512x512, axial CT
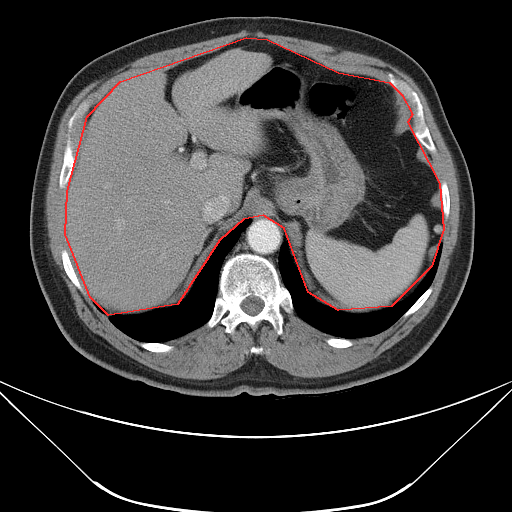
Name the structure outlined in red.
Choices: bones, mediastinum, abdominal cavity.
red: abdominal cavity.
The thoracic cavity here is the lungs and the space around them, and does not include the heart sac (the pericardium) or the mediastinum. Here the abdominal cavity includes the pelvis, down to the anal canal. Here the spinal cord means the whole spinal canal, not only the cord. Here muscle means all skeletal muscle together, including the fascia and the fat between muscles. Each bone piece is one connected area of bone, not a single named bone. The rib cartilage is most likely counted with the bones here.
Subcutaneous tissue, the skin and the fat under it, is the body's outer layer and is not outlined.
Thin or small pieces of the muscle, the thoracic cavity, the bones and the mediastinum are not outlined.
Outlines:
abdominal cavity: 246 37; 267 39; 338 72; 389 82; 401 94; 412 114; 407 122; 439 183; 443 229; 431 266; 391 306; 338 310; 308 292; 284 228; 263 215; 243 219; 219 240; 177 304; 108 315; 90 297; 65 234; 67 191; 87 116; 120 81
bones 1: 240 253; 267 258; 288 290; 294 310; 292 313; 280 310; 283 315; 281 334; 278 334; 267 320; 260 321; 254 329; 246 322; 240 322; 232 334; 227 333; 225 326; 220 322; 213 327; 205 325; 212 315; 218 295; 222 266; 229 258; inner edge: 251 296; 258 297; 261 300; 262 300; 262 301; 263 302; 263 307; 261 309; 261 310; 258 313; 257 313; 254 315; 251 315; 250 314; 248 314; 246 312; 245 312; 242 309; 242 308; 241 307; 241 303; 247 297; 250 297
bones 2: 388 72; 391 72; 397 78; 403 80; 416 92; 423 108; 424 121; 429 130; 431 138; 436 149; 436 152; 435 153; 433 154; 431 153; 416 137; 415 135; 415 130; 414 129; 414 108; 412 104; 390 83; 387 77; 387 73
bones 3: 85 99; 87 99; 89 101; 89 106; 87 110; 74 124; 73 129; 70 134; 72 141; 72 152; 75 158; 74 167; 65 187; 64 188; 60 188; 59 186; 59 176; 63 163; 63 154; 64 153; 64 147; 66 142; 68 120; 81 102
bones 4: 62 249; 65 249; 67 251; 67 253; 68 254; 69 259; 71 262; 71 264; 73 267; 73 269; 77 276; 79 283; 81 285; 84 291; 84 293; 83 293; 71 281; 65 272; 65 270; 63 266; 62 258; 61 257; 61 250
bones 5: 140 342; 158 342; 159 343; 165 343; 168 345; 172 345; 173 346; 173 348; 171 350; 170 350; 169 351; 166 351; 165 352; 154 352; 153 351; 150 351; 147 349; 145 349; 141 346; 140 346; 140 345; 139 344; 139 343
bones 6: 431 285; 432 286; 432 291; 430 293; 430 294; 428 296; 428 297; 426 299; 426 300; 423 303; 423 304; 413 313; 410 314; 408 316; 407 316; 404 318; 403 317; 402 317; 403 314; 417 300; 417 299; 429 287; 429 286; 430 286
bones 7: 442 181; 444 181; 447 185; 447 187; 448 188; 448 191; 449 192; 449 198; 450 199; 450 205; 449 206; 449 214; 447 218; 444 218; 444 214; 443 213; 443 204; 442 203; 442 196; 441 195; 441 190; 440 189; 440 184
bones 8: 330 337; 336 337; 337 338; 344 338; 345 339; 349 339; 351 340; 353 343; 352 345; 348 347; 342 347; 341 348; 339 348; 338 347; 334 347; 333 346; 331 346; 329 345; 326 342; 326 339
spinal cord: 251 296; 258 297; 261 300; 262 300; 262 301; 263 302; 263 307; 261 309; 261 310; 258 313; 257 313; 254 315; 251 315; 250 314; 248 314; 246 312; 245 312; 242 309; 242 308; 241 307; 241 303; 247 297; 250 297
mediastinum: 263 216; 273 216; 283 228; 285 235; 284 241; 281 244; 278 251; 278 257; 277 258; 278 271; 274 264; 267 257; 255 253; 249 252; 236 253; 229 257; 225 261; 225 257; 234 247; 238 241; 241 233; 250 225; 252 220; 261 218
muscle: 242 30; 261 31; 267 34; 290 36; 327 44; 334 47; 337 47; 342 50; 348 50; 374 56; 397 67; 410 76; 424 94; 433 115; 434 120; 451 154; 456 169; 459 188; 458 236; 456 245; 454 247; 453 252; 450 257; 450 263; 448 266; 441 290; 434 306; 427 315; 406 336; 382 352; 376 358; 357 368; 339 374; 323 377; 297 377; 294 376; 286 371; 274 366; 263 358; 261 354; 263 353; 264 349; 262 346; 259 345; 252 345; 249 348; 249 351; 251 353; 255 354; 244 364; 237 369; 229 372; 224 376; 217 378; 211 379; 181 378; 155 370; 135 360; 115 348; 104 338; 91 331; 79 318; 75 309; 74 301; 72 299; 70 292; 60 274; 60 270; 53 259; 51 250; 48 245; 49 244; 49 237; 46 226; 47 222; 45 214; 45 196; 49 180; 50 165; 52 161; 52 154; 60 120; 66 108; 73 98; 84 87; 91 82; 99 79; 105 75; 110 74; 117 68; 119 68; 137 58; 158 51; 196 43; 212 38; 236 33 with holes at 246 37; 338 72; 386 82; 391 72; 416 92; 450 199; 432 291; 413 313; 348 347; 329 345; 331 334; 281 309; 281 334; 267 320; 254 329; 240 322; 232 334; 218 322; 150 351; 96 307; 67 243; 67 191; 87 116; 120 81 and at 85 99; 87 99; 89 101; 89 106; 87 110; 74 124; 73 129; 70 134; 72 141; 72 152; 75 158; 74 167; 65 187; 64 188; 60 188; 59 186; 59 176; 63 163; 63 154; 64 153; 64 147; 66 142; 68 120; 81 102 and at 62 249; 65 249; 67 251; 67 253; 68 254; 69 259; 71 262; 71 264; 73 267; 73 269; 77 276; 79 283; 81 285; 84 291; 84 293; 83 293; 71 281; 65 272; 65 270; 63 266; 62 258; 61 257; 61 250
torso: 228 16; 295 18; 373 35; 417 61; 437 90; 473 188; 473 256; 462 293; 444 327; 427 350; 398 373; 326 394; 187 395; 124 378; 90 361; 67 341; 48 307; 31 259; 29 218; 40 147; 62 90; 84 65; 112 49; 156 32
thoracic cavity 1: 246 219; 250 219; 251 222; 240 233; 237 241; 224 257; 219 272; 217 295; 214 299; 212 312; 204 324; 179 337; 165 342; 159 342; 135 339; 110 321; 108 316; 113 314; 139 315; 177 305; 192 289; 204 263; 220 240; 240 222
thoracic cavity 2: 284 242; 287 245; 291 261; 311 297; 325 306; 350 314; 379 311; 405 299; 416 289; 430 270; 438 246; 442 244; 442 248; 430 285; 400 317; 374 335; 350 339; 326 333; 306 322; 296 313; 291 294; 282 283; 279 273; 279 251